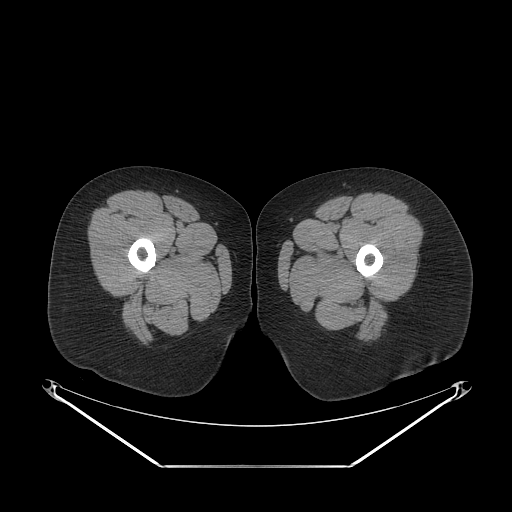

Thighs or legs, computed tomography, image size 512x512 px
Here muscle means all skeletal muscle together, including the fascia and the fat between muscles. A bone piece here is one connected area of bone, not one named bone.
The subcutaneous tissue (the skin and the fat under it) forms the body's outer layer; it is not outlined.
The bones appear in 2 outlined pieces: piece 1: 140,237 147,237 149,238 152,241 154,245 154,247 155,248 155,251 156,252 156,261 155,262 155,264 154,266 152,267 147,272 142,272 136,269 130,263 127,257 127,253 128,252 128,249 130,245 136,239; piece 2: 366,243 371,243 375,245 379,249 379,250 381,252 383,256 383,263 382,264 382,266 379,269 379,270 377,272 376,272 371,277 365,277 363,276 357,270 356,268 356,266 355,265 355,256 359,248 362,245. The right leg is outlined by 131,165 165,167 204,179 235,198 244,207 250,219 253,244 251,313 244,327 231,341 218,375 192,395 162,397 105,379 64,359 50,335 47,321 47,283 54,236 62,212 71,197 86,182 106,171. The left leg is outlined by 360,166 385,167 408,174 432,189 447,206 464,238 472,263 471,317 465,340 453,356 398,379 373,393 346,400 325,401 314,397 294,381 277,349 260,331 257,321 255,269 256,222 265,203 286,186 322,172. The muscle appears in 2 outlined pieces: piece 1: 128,189 167,192 191,203 207,218 217,235 225,241 225,245 230,255 232,284 222,305 199,329 182,339 173,341 162,347 150,348 141,345 130,335 109,298 109,294 99,284 90,260 87,226 91,213 110,195, around a hole outlined by 140,237 147,237 149,238 152,241 154,245 154,247 155,248 155,251 156,252 156,261 155,262 155,264 154,266 152,267 147,272 142,272 136,269 130,263 127,257 127,253 128,252 128,249 130,245 136,239; piece 2: 357,191 379,191 403,200 416,214 424,231 422,258 417,275 411,288 397,301 387,332 370,345 361,346 340,341 315,327 296,311 290,299 281,290 277,278 279,251 282,243 291,234 294,226 326,200; inner edge: 366,243 371,243 375,245 379,249 379,250 381,252 383,256 383,263 382,264 382,266 379,269 379,270 377,272 376,272 371,277 365,277 363,276 357,270 356,268 356,266 355,265 355,256 359,248 362,245.